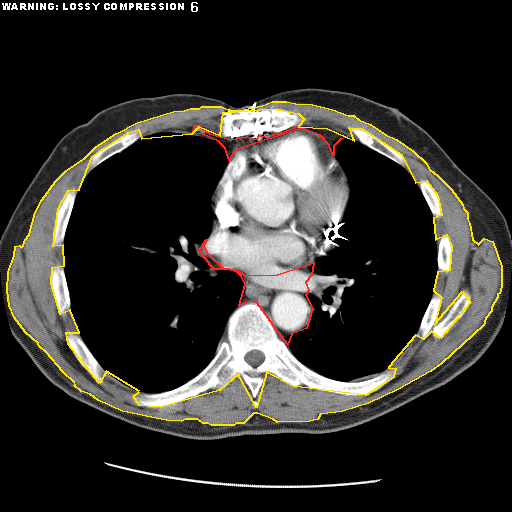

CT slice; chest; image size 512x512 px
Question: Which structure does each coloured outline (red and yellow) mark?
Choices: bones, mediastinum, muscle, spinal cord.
Answer: red: mediastinum; yellow: muscle.
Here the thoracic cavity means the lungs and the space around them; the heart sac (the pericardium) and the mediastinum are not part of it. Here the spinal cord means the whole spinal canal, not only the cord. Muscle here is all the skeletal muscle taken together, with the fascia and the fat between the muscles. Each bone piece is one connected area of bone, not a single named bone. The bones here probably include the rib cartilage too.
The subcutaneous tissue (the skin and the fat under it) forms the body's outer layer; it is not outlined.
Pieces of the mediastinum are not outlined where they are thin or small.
Outlines:
mediastinum 1: 206 239; 203 246; 207 253; 223 268; 237 270; 244 275; 277 274; 313 262; 311 275; 305 282; 308 290; 305 295; 312 308; 306 328; 291 334; 287 344; 257 303; 249 301; 239 305; 245 284; 241 276; 237 272; 229 269; 214 269; 210 265; 199 250
mediastinum 2: 194 126; 199 126; 209 133; 231 139; 246 136; 257 139; 258 136; 279 133; 296 126; 327 128; 347 137; 340 139; 333 146; 333 155; 329 145; 320 135; 301 128; 237 149; 232 153; 229 160; 225 148; 218 141; 202 134; 193 133
muscle: 272 101; 286 101; 295 103; 312 104; 332 109; 348 115; 353 115; 358 119; 370 124; 385 134; 396 139; 413 151; 425 162; 429 169; 437 175; 451 189; 462 204; 463 208; 467 212; 467 219; 469 223; 472 239; 478 244; 484 238; 492 241; 501 266; 501 286; 499 293; 497 294; 497 297; 491 307; 491 311; 485 318; 483 325; 441 363; 430 371; 398 389; 368 403; 342 411; 320 414; 317 419; 309 421; 277 422; 273 419; 257 413; 253 413; 243 423; 236 423; 233 425; 211 425; 207 423; 203 423; 197 419; 185 419; 181 421; 166 420; 122 411; 98 400; 90 394; 81 391; 74 385; 75 384; 74 382; 63 372; 46 352; 39 346; 38 343; 25 332; 14 317; 9 305; 7 290; 8 272; 14 255; 15 246; 19 245; 21 247; 23 245; 25 239; 29 234; 35 212; 42 199; 55 181; 66 170; 84 158; 96 146; 116 133; 137 122; 173 111; 184 110; 190 108; 199 108; 202 106; 221 106; 230 110; 239 110; 262 105, around a hole outlined by 271 108; 298 113; 304 119; 298 126; 327 128; 354 140; 349 127; 361 128; 401 154; 415 182; 426 180; 437 195; 441 215; 433 218; 435 239; 446 234; 451 246; 449 270; 437 272; 433 290; 441 297; 434 324; 462 291; 470 302; 440 338; 431 331; 423 339; 415 335; 388 367; 395 368; 393 377; 365 395; 293 386; 266 372; 256 407; 238 374; 219 390; 160 407; 139 405; 133 396; 139 391; 106 371; 99 383; 68 344; 66 332; 79 332; 70 310; 60 314; 51 283; 52 267; 64 265; 63 245; 53 246; 58 208; 68 190; 79 189; 92 156; 128 132; 138 129; 141 138; 192 133; 199 126; 220 135; 223 112
bones 1: 249 302; 263 310; 291 353; 318 374; 357 382; 394 367; 393 377; 368 394; 347 395; 293 386; 266 372; 253 407; 252 393; 238 374; 219 390; 209 388; 169 405; 137 404; 134 394; 169 391; 195 377; 214 357; 232 312, around a hole outlined by 252 350; 258 350; 259 351; 260 351; 263 354; 263 355; 264 356; 264 359; 262 361; 262 362; 256 366; 253 366; 252 365; 251 365; 250 364; 249 364; 245 360; 245 359; 244 358; 245 357; 245 355; 248 352; 249 352
bones 2: 271 108; 282 108; 298 113; 304 120; 297 125; 279 132; 268 132; 263 135; 258 135; 257 138; 253 138; 250 135; 233 138; 228 136; 222 136; 221 126; 223 124; 223 112; 226 111; 237 113; 242 110; 255 109; 259 111
bones 3: 464 290; 468 291; 470 294; 470 302; 463 315; 444 335; 440 338; 435 338; 432 335; 431 331; 423 339; 421 339; 419 336; 416 335; 422 318; 433 294; 438 294; 441 297; 439 311; 434 321; 435 325; 445 317; 454 302
bones 4: 68 330; 72 331; 75 333; 77 333; 80 336; 81 339; 88 348; 92 355; 97 360; 99 364; 105 371; 102 373; 102 378; 103 379; 103 383; 102 384; 99 383; 81 365; 81 364; 74 355; 66 339; 66 332
bones 5: 350 126; 354 126; 355 127; 361 128; 364 130; 366 130; 372 133; 378 137; 391 148; 401 154; 404 157; 406 161; 406 165; 404 167; 402 166; 387 156; 378 152; 376 150; 365 145; 359 141; 355 135; 349 129; 349 127
bones 6: 73 187; 75 188; 77 191; 75 195; 75 198; 73 202; 73 205; 71 209; 71 212; 65 230; 65 234; 63 238; 63 242; 61 245; 53 246; 53 228; 54 227; 54 223; 55 222; 58 208; 60 206; 62 200; 68 190
bones 7: 57 263; 60 263; 62 264; 63 266; 65 280; 66 281; 67 288; 69 292; 69 298; 70 299; 70 310; 68 310; 64 316; 62 316; 58 310; 58 308; 55 301; 55 298; 53 294; 52 284; 51 283; 51 270; 52 269; 52 267
bones 8: 135 129; 138 129; 141 131; 141 135; 138 139; 137 139; 133 143; 121 151; 117 152; 111 155; 99 163; 96 166; 90 169; 90 167; 89 166; 90 160; 92 156; 98 150; 104 146; 107 145; 118 137; 128 132; 130 132
bones 9: 443 234; 446 234; 448 236; 448 237; 449 238; 449 241; 450 242; 450 245; 451 246; 451 264; 450 265; 449 270; 447 273; 445 273; 442 271; 438 271; 438 264; 437 263; 437 255; 438 254; 438 242; 439 241; 441 236
bones 10: 420 179; 424 179; 426 180; 429 183; 429 184; 437 195; 437 197; 439 200; 440 207; 441 208; 441 215; 439 218; 435 218; 433 216; 431 212; 431 210; 418 184; 419 183; 419 181
spinal cord: 252 350; 258 350; 259 351; 260 351; 263 354; 263 355; 264 356; 264 359; 262 361; 262 362; 256 366; 253 366; 252 365; 251 365; 250 364; 249 364; 245 360; 245 359; 244 358; 245 357; 245 355; 248 352; 249 352
thoracic cavity 1: 159 132; 190 132; 215 140; 224 148; 228 162; 210 197; 211 230; 198 250; 214 270; 237 273; 244 291; 227 319; 225 335; 210 361; 181 385; 150 393; 135 390; 110 375; 79 334; 71 311; 63 243; 77 192; 89 172; 140 138
thoracic cavity 2: 348 137; 405 168; 418 185; 433 217; 437 243; 436 282; 415 335; 386 369; 357 381; 338 380; 318 373; 302 363; 288 346; 290 336; 303 332; 312 318; 313 308; 306 295; 311 266; 337 245; 333 240; 342 223; 350 186; 333 149
torso: 305 87; 347 91; 398 108; 442 147; 504 215; 511 237; 508 298; 499 332; 481 357; 445 384; 381 416; 327 433; 185 438; 108 415; 50 382; 12 334; 2 291; 0 238; 25 189; 62 136; 100 110; 134 98; 193 93; 240 107
pericardium: 301 129; 320 136; 328 145; 347 179; 349 196; 340 220; 341 223; 332 240; 336 245; 326 254; 316 257; 311 262; 295 269; 277 273; 244 274; 237 269; 223 267; 206 251; 204 245; 214 225; 212 198; 230 158; 237 150